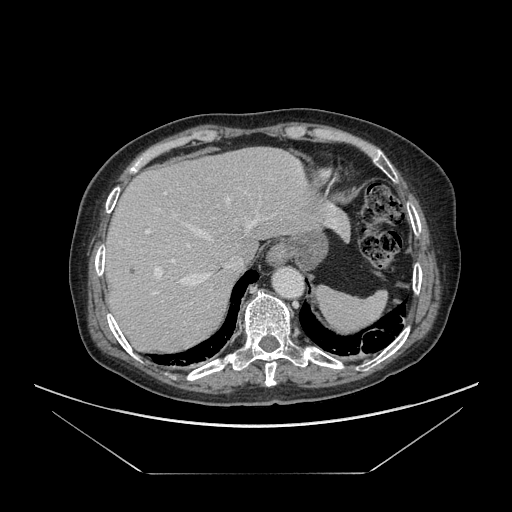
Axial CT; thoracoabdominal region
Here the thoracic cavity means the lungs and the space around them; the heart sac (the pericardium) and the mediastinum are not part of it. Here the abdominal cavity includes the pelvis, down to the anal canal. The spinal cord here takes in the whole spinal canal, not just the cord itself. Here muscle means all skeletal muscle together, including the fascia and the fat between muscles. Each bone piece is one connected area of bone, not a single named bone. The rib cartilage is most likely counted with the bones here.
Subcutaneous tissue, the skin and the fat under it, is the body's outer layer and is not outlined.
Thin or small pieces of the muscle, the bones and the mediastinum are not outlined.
thoracic cavity 1: [[411,294],[402,329],[385,347],[376,353],[357,356],[336,355],[321,348],[307,338],[298,323],[297,318],[299,310],[301,306],[304,303],[306,303],[309,306],[309,309],[315,319],[324,328],[335,334],[352,335],[363,330],[383,317],[401,304]]
thoracic cavity 2: [[248,270],[255,270],[258,273],[258,277],[255,281],[247,286],[242,296],[236,328],[230,339],[222,349],[210,359],[188,366],[165,366],[157,364],[147,357],[140,354],[177,354],[185,352],[213,336],[220,329],[227,318],[231,302],[232,290],[236,282]]
muscle 1: [[146,148],[126,170],[129,174],[133,175],[122,189],[119,184],[113,186],[104,203],[105,213],[108,215],[111,214],[106,226],[104,242],[99,243],[95,249],[94,269],[98,277],[104,276],[108,304],[111,310],[111,312],[108,311],[105,314],[105,318],[110,331],[120,346],[134,360],[141,364],[144,363],[141,356],[147,358],[157,365],[165,367],[188,367],[205,362],[186,373],[184,378],[187,381],[193,381],[218,372],[228,364],[230,364],[235,371],[241,371],[255,360],[263,361],[263,382],[266,387],[258,386],[246,388],[228,394],[204,393],[178,388],[163,383],[127,362],[104,353],[92,339],[87,325],[86,283],[88,246],[92,231],[101,204],[117,176],[137,154]], around a hole outlined by [[164,372],[168,372],[169,373],[170,373],[171,374],[173,374],[174,375],[175,375],[176,376],[176,379],[173,379],[172,378],[171,378],[169,376],[168,376],[167,375],[165,375],[164,374]]
muscle 2: [[394,166],[419,200],[435,250],[441,296],[432,327],[385,367],[363,378],[326,387],[276,385],[279,359],[300,368],[310,362],[343,370],[344,362],[328,352],[343,357],[378,353],[353,367],[358,372],[366,372],[393,355],[406,341],[412,328],[410,323],[405,325],[408,306],[412,293],[420,294],[423,278],[421,263],[415,261],[414,256],[414,237],[420,236],[422,224],[414,203],[409,199],[405,201],[396,186],[400,179]]
muscle 3: [[290,121],[318,123],[332,126],[350,133],[339,130],[333,130],[329,128],[313,127],[309,129],[303,125],[291,125],[284,129],[287,137],[277,137],[261,132],[253,132],[232,138],[226,139],[224,138],[220,140],[215,140],[218,137],[218,132],[214,129],[206,128],[193,131],[190,134],[187,135],[156,143],[148,147],[170,135],[201,124],[216,124],[236,128],[255,128],[256,127],[265,127],[275,125],[282,122],[289,122]]
muscle 4: [[240,311],[242,312],[243,341],[236,349],[232,351],[230,351],[227,353],[225,353],[221,356],[217,356],[216,357],[212,358],[215,355],[220,352],[223,349],[225,345],[227,344],[231,339],[234,332],[237,328]]
muscle 5: [[292,318],[296,318],[297,319],[297,323],[298,324],[298,326],[299,327],[299,328],[301,330],[301,331],[303,333],[303,334],[305,336],[305,337],[314,344],[301,344],[300,343],[296,343],[293,340],[293,339],[291,337],[291,335],[292,334]]
torso: [[289,107],[339,112],[391,129],[433,158],[451,181],[461,271],[438,341],[417,363],[374,386],[333,399],[282,406],[274,403],[216,407],[174,401],[141,389],[99,365],[80,338],[68,282],[69,251],[78,208],[93,176],[124,144],[170,121],[200,113]]
bones 1: [[260,294],[276,296],[289,307],[290,337],[296,344],[315,345],[345,367],[336,369],[310,361],[300,367],[279,358],[276,384],[268,387],[264,382],[265,362],[255,359],[241,370],[228,363],[218,371],[187,380],[185,376],[193,369],[242,344],[245,305]] with a hole at [[267,335],[270,335],[271,336],[272,336],[273,337],[274,337],[278,342],[278,346],[275,349],[274,349],[271,351],[266,351],[264,349],[263,349],[260,346],[260,345],[259,344],[259,343],[260,342],[260,341],[262,339],[262,338],[263,337],[264,337]]
bones 2: [[291,126],[303,126],[309,130],[313,128],[320,128],[344,132],[369,142],[379,148],[385,154],[397,173],[399,181],[394,183],[372,162],[365,153],[357,147],[344,142],[322,141],[308,134],[305,134],[298,139],[290,138],[287,136],[285,129]]
bones 3: [[206,129],[214,130],[217,132],[217,137],[213,141],[205,142],[201,140],[194,139],[182,146],[173,148],[158,155],[146,163],[137,172],[133,174],[131,174],[127,171],[131,164],[148,148],[156,144],[163,143],[180,137],[187,136],[190,135],[193,132]]
bones 4: [[407,324],[410,324],[411,325],[410,331],[405,341],[393,354],[366,371],[358,371],[354,368],[354,367],[356,365],[360,364],[363,361],[365,360],[369,360],[377,355],[399,334],[399,333],[403,329],[404,326],[405,326]]
bones 5: [[108,312],[110,312],[113,316],[121,332],[123,334],[124,337],[128,343],[131,346],[132,349],[136,353],[140,355],[141,358],[143,360],[143,363],[141,363],[134,359],[118,342],[114,336],[113,333],[111,331],[109,327],[109,325],[107,322],[106,314]]
bones 6: [[407,200],[409,200],[413,203],[417,211],[417,213],[419,216],[419,219],[421,224],[421,231],[419,236],[417,237],[414,236],[414,234],[410,224],[410,221],[408,216],[408,211],[406,206],[406,201]]
bones 7: [[101,243],[103,243],[104,244],[104,246],[105,247],[105,256],[104,257],[104,265],[103,266],[103,276],[98,276],[98,275],[97,274],[97,273],[96,272],[96,270],[95,269],[95,254],[96,253],[96,249],[97,248],[97,246],[99,244],[100,244]]
bones 8: [[416,261],[418,261],[420,263],[420,265],[421,266],[421,269],[422,270],[422,278],[421,279],[421,285],[420,286],[420,289],[419,290],[419,294],[418,295],[414,295],[414,294],[412,291],[412,277],[413,276],[413,269],[414,268],[414,263]]
bones 9: [[116,185],[119,185],[121,188],[121,190],[119,193],[119,195],[117,198],[117,200],[115,203],[115,205],[111,213],[108,214],[106,213],[105,211],[105,203],[106,202],[107,197],[110,191],[113,188],[113,187],[114,187]]
mediastinum 1: [[282,239],[287,239],[294,244],[296,257],[309,278],[310,306],[304,302],[298,310],[297,317],[292,317],[290,307],[281,298],[271,293],[260,293],[244,305],[243,312],[240,310],[243,296],[248,286],[259,277],[259,273],[255,269],[248,269],[266,246]]
mediastinum 2: [[282,138],[289,138],[311,142],[337,142],[348,144],[357,148],[365,154],[370,159],[371,162],[392,182],[382,177],[376,177],[369,180],[358,189],[357,172],[353,162],[347,156],[338,151],[323,150],[315,152],[309,155],[307,158],[291,149]]
mediastinum 3: [[224,139],[225,140],[231,139],[211,149],[199,153],[196,153],[195,154],[184,156],[180,158],[173,159],[159,164],[156,164],[140,170],[141,168],[153,159],[173,149],[181,148],[186,146],[191,146],[192,145],[198,145],[208,142],[220,141]]
spinal cord: [[267,335],[270,335],[271,336],[272,336],[273,337],[274,337],[278,342],[278,346],[275,349],[274,349],[271,351],[266,351],[264,349],[263,349],[260,346],[260,345],[259,344],[259,343],[260,342],[260,341],[262,339],[262,338],[263,337],[264,337]]
pericardium: [[323,151],[332,151],[333,152],[338,152],[340,153],[342,155],[347,157],[352,162],[352,164],[355,169],[357,176],[357,189],[353,196],[345,203],[337,203],[331,200],[317,189],[308,179],[307,174],[305,171],[305,162],[309,156],[315,153],[322,152]]
abdominal cavity: [[253,133],[281,138],[306,158],[309,182],[337,204],[376,178],[395,185],[413,235],[412,292],[363,329],[335,333],[312,313],[310,278],[295,244],[282,238],[235,282],[213,335],[177,353],[138,353],[112,312],[104,275],[107,226],[123,188],[142,170]]